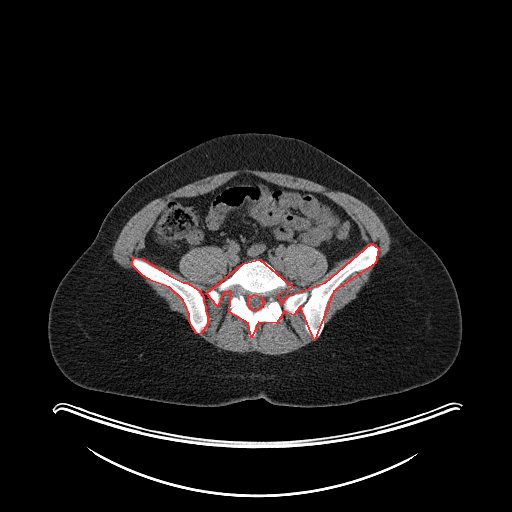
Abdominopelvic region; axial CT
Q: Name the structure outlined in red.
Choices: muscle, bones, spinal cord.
A: red: bones.
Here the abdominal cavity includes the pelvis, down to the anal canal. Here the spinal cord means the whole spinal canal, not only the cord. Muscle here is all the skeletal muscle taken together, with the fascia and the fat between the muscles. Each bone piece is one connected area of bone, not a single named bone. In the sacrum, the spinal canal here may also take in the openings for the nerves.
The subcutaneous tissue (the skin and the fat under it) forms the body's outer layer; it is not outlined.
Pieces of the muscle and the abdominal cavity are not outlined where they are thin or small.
{"bones":[{"outer":[[371,243],[378,248],[375,263],[333,291],[314,340],[300,306],[293,315],[284,311],[276,323],[258,322],[251,337],[248,323],[229,312],[231,292],[223,292],[217,306],[206,293],[243,263],[259,259],[293,287],[277,295],[281,304],[288,295],[325,282]],"hole":[[254,294],[260,296],[262,298],[262,299],[263,300],[263,302],[262,303],[262,305],[261,306],[261,307],[260,308],[259,308],[257,310],[255,310],[254,311],[253,310],[252,310],[249,307],[249,306],[248,305],[248,297],[249,296],[251,296]]},[[133,257],[141,258],[171,276],[183,282],[186,282],[199,290],[203,296],[203,301],[205,305],[205,310],[207,316],[207,324],[201,333],[199,334],[196,333],[192,327],[189,321],[189,314],[183,300],[169,287],[152,281],[142,275],[133,266],[132,264]]],"spinal_cord":[[[254,294],[260,296],[262,298],[262,299],[263,300],[263,302],[262,303],[262,305],[261,306],[261,307],[260,308],[259,308],[257,310],[255,310],[254,311],[253,310],[252,310],[249,307],[249,306],[248,305],[248,297],[249,296],[251,296]]],"abdominal_cavity":[[[239,174],[322,194],[357,224],[365,245],[328,271],[321,251],[304,244],[289,245],[283,249],[281,262],[294,287],[259,258],[243,262],[220,282],[229,261],[216,245],[184,253],[178,263],[179,273],[150,262],[141,254],[145,238],[168,201],[205,194]]],"muscle":[[[239,169],[289,174],[357,198],[370,207],[385,226],[391,241],[389,250],[376,263],[378,245],[372,242],[366,244],[358,224],[339,204],[322,193],[280,185],[251,173],[239,173],[205,193],[172,197],[157,214],[145,235],[140,254],[148,261],[133,256],[131,264],[146,279],[169,288],[182,300],[188,321],[195,333],[182,315],[171,310],[138,273],[122,267],[113,259],[112,249],[128,220],[150,201],[199,179]],[[205,246],[221,248],[228,261],[224,278],[219,281],[216,288],[209,288],[205,293],[215,307],[219,305],[223,293],[231,293],[227,303],[228,312],[247,323],[249,337],[256,336],[258,323],[276,324],[284,312],[293,316],[300,307],[304,329],[313,341],[297,350],[271,355],[257,351],[241,353],[219,349],[200,337],[198,335],[204,331],[208,324],[204,296],[197,287],[151,263],[179,274],[179,263],[182,256],[192,249]],[[291,245],[304,245],[321,252],[325,256],[327,261],[327,272],[338,262],[357,253],[319,285],[313,287],[309,291],[305,290],[288,294],[281,303],[278,299],[278,295],[284,290],[292,291],[296,286],[294,280],[285,275],[282,262],[284,259],[284,249]],[[375,264],[373,267],[373,269],[370,273],[368,281],[361,288],[357,294],[357,296],[343,308],[338,310],[336,312],[325,327],[325,331],[322,334],[325,327],[325,321],[324,320],[324,318],[325,317],[326,307],[334,291],[353,273],[365,270],[373,266]]],"torso":[[[234,133],[294,137],[317,147],[364,178],[435,251],[452,278],[462,316],[460,349],[442,376],[406,391],[342,405],[283,406],[259,398],[203,407],[92,390],[62,374],[49,348],[50,303],[60,280],[93,241],[108,211],[136,181],[161,164],[205,140]]]}